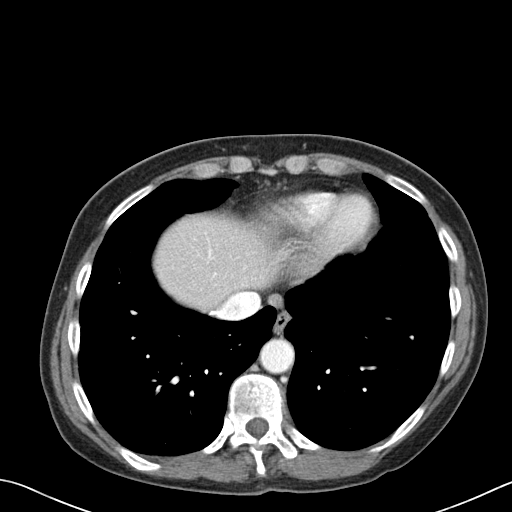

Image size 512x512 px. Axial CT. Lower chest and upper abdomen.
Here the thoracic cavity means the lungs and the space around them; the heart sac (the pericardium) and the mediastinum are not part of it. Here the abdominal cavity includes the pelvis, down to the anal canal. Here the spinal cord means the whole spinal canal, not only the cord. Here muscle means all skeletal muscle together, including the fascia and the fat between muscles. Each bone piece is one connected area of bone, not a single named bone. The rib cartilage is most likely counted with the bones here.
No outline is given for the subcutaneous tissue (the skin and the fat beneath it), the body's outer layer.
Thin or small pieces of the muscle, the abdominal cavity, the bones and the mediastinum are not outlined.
The bones appear in 15 outlined pieces: piece 1: 249 373; 264 374; 277 382; 285 391; 291 423; 321 449; 298 447; 295 457; 286 458; 274 444; 268 443; 262 447; 264 475; 257 473; 256 461; 248 444; 241 444; 233 450; 226 441; 212 453; 200 451; 221 431; 231 384; 238 376, around a hole outlined by 254 418; 261 418; 265 420; 268 426; 267 428; 267 430; 260 437; 258 438; 254 436; 252 434; 251 434; 246 429; 246 425; 247 423; 250 420; piece 2: 422 403; 424 403; 426 404; 426 408; 424 412; 422 414; 421 417; 417 421; 417 422; 402 437; 398 439; 391 445; 382 449; 378 452; 369 452; 369 450; 372 447; 374 447; 375 446; 378 446; 382 444; 385 441; 385 440; piece 3: 147 184; 153 184; 157 186; 153 190; 152 190; 145 196; 138 200; 135 203; 130 206; 125 211; 124 211; 109 226; 109 227; 107 229; 106 229; 104 226; 105 225; 105 222; 108 215; 112 211; 112 210; 129 195; 130 195; 141 187; piece 4: 118 444; 120 444; 122 446; 129 449; 131 451; 136 453; 138 455; 150 461; 152 461; 153 462; 160 464; 161 466; 160 468; 156 469; 155 470; 148 470; 147 471; 143 471; 142 470; 138 470; 136 469; 133 467; 115 448; 115 447; piece 5: 388 173; 391 173; 396 176; 398 176; 413 185; 425 196; 427 201; 424 204; 421 204; 418 201; 417 201; 406 193; 397 189; 395 187; 390 185; 388 183; 384 181; 384 180; 382 179; 384 177; 384 176; piece 6: 74 380; 78 380; 81 384; 81 386; 85 393; 85 395; 91 406; 91 408; 95 416; 95 418; 96 419; 96 422; 95 424; 92 424; 89 421; 81 410; 77 402; 77 400; 75 397; 75 395; 73 391; 73 388; 72 387; 72 383; piece 7: 208 162; 216 162; 218 163; 221 166; 224 167; 226 169; 226 170; 224 172; 220 172; 218 173; 215 176; 213 177; 209 177; 208 178; 196 178; 194 177; 194 175; 193 174; 193 169; 194 167; 196 165; 198 165; 202 163; 207 163; piece 8: 442 225; 446 229; 447 232; 451 237; 454 243; 454 245; 455 246; 455 248; 457 252; 457 260; 456 262; 454 262; 453 261; 450 261; 448 259; 442 247; 442 245; 440 242; 440 240; 438 237; 438 234; 436 230; 440 226; piece 9: 74 317; 77 317; 79 321; 79 350; 78 351; 78 354; 76 358; 74 357; 72 354; 72 352; 69 346; 69 343; 68 342; 68 338; 67 337; 67 332; 68 331; 68 326; 69 325; 69 322; 70 320; piece 10: 318 158; 330 158; 331 159; 334 159; 335 160; 342 161; 344 163; 345 163; 345 167; 343 169; 342 169; 337 174; 326 174; 325 173; 322 173; 322 172; 319 169; 318 169; 317 168; 313 168; 313 167; 314 167; 315 166; 315 161; piece 11: 300 155; 302 156; 306 156; 308 158; 309 160; 309 163; 308 164; 307 169; 306 169; 303 172; 301 172; 300 173; 290 173; 288 172; 286 170; 284 166; 284 163; 286 159; 287 159; 291 156; 299 156; piece 12: 234 156; 245 156; 246 157; 249 158; 249 159; 251 161; 251 162; 252 163; 252 169; 251 170; 251 171; 248 171; 247 172; 243 172; 242 173; 232 173; 231 172; 230 172; 228 169; 228 163; 229 162; 230 159; 232 157; 233 157; piece 13: 86 261; 91 261; 92 262; 92 265; 91 266; 91 271; 89 275; 89 278; 87 281; 87 283; 84 289; 83 294; 80 299; 77 297; 77 295; 76 294; 76 281; 77 280; 77 277; 78 276; 78 274; 82 266; piece 14: 450 283; 453 283; 455 285; 456 285; 456 286; 459 290; 459 292; 460 293; 460 296; 461 297; 461 304; 460 305; 460 308; 459 309; 457 314; 453 319; 451 319; 451 311; 450 310; 450 303; 449 302; 449 286; 450 285; piece 15: 449 339; 452 339; 454 341; 454 343; 455 344; 455 347; 454 348; 453 355; 451 359; 451 362; 446 372; 441 377; 438 377; 438 374; 439 373; 441 362; 442 361; 442 359; 445 352; 445 349; 447 346; 447 344; 448 343. The torso is outlined by 286 133; 337 135; 388 149; 433 176; 458 202; 477 242; 488 295; 485 347; 465 396; 445 427; 405 465; 370 482; 337 490; 201 493; 141 483; 90 463; 61 437; 39 373; 46 305; 76 216; 104 183; 162 150; 218 136. The muscle appears in 4 outlined pieces: piece 1: 427 198; 452 228; 464 252; 467 281; 472 286; 476 303; 472 355; 457 384; 427 418; 365 471; 333 479; 301 480; 284 475; 260 478; 250 483; 204 478; 159 478; 127 467; 75 426; 62 409; 50 372; 52 339; 76 265; 105 219; 103 226; 107 230; 93 261; 86 260; 83 263; 75 281; 75 294; 80 300; 79 313; 78 317; 69 320; 66 337; 72 356; 77 358; 79 380; 74 379; 71 387; 84 416; 92 425; 97 420; 119 443; 114 448; 133 468; 143 472; 161 468; 160 463; 140 455; 165 457; 196 451; 209 455; 227 442; 233 451; 241 445; 248 445; 255 461; 256 473; 264 476; 266 467; 263 447; 268 444; 274 445; 286 459; 295 458; 298 448; 316 451; 324 447; 351 451; 368 447; 385 438; 368 452; 378 453; 391 446; 422 417; 427 408; 423 402; 437 378; 447 372; 456 347; 449 334; 451 320; 461 308; 462 297; 457 285; 450 282; 448 260; 456 263; 458 252; 447 229; 442 224; 435 228; 422 205; 428 201; piece 2: 314 152; 333 153; 355 158; 375 165; 389 172; 386 173; 382 178; 369 172; 351 172; 338 174; 346 167; 346 163; 342 160; 330 157; 318 157; 314 161; 314 166; 312 168; 321 172; 305 171; 308 169; 310 160; 306 155; 300 154; piece 3: 231 155; 242 155; 234 155; 229 159; 227 163; 227 169; 231 174; 217 175; 220 173; 224 173; 227 169; 216 161; 208 161; 196 164; 193 167; 192 169; 193 177; 175 177; 166 180; 159 185; 147 183; 154 177; 176 167; 209 157; piece 4: 292 154; 299 155; 291 155; 285 159; 283 163; 283 166; 286 171; 283 172; 279 172; 274 167; 262 167; 259 169; 259 172; 252 171; 253 169; 253 163; 250 158; 246 156; 255 156; 261 159; 263 162; 270 163; 284 156; 291 155. The mediastinum appears in 2 outlined pieces: piece 1: 276 286; 289 288; 284 293; 284 307; 291 318; 285 325; 283 334; 292 344; 295 352; 293 366; 285 390; 280 387; 273 377; 267 374; 257 372; 243 373; 255 361; 261 347; 272 335; 276 310; 271 305; 263 306; 262 294; piece 2: 248 172; 257 172; 268 176; 284 172; 290 174; 314 172; 326 175; 361 173; 361 177; 370 193; 354 183; 339 183; 323 179; 294 179; 291 181; 284 180; 261 184; 236 195; 229 200; 225 207; 219 207; 238 183; 233 179; 217 176. The spinal cord is outlined by 254 418; 261 418; 265 420; 268 426; 267 428; 267 430; 260 437; 258 438; 254 436; 252 434; 251 434; 246 429; 246 425; 247 423; 250 420. The abdominal cavity is outlined by 217 207; 223 208; 223 211; 228 214; 233 214; 241 222; 247 237; 258 246; 277 274; 277 278; 292 287; 276 285; 268 289; 261 294; 262 306; 259 310; 241 319; 221 319; 178 305; 159 287; 150 265; 154 246; 169 224; 184 214. The thoracic cavity appears in 2 outlined pieces: piece 1: 216 176; 237 185; 218 206; 184 213; 162 230; 150 254; 151 273; 175 304; 213 318; 241 320; 265 306; 273 307; 271 335; 230 384; 227 410; 214 439; 179 455; 138 454; 96 418; 80 381; 81 299; 98 248; 124 212; 166 181; piece 2: 362 173; 383 180; 424 208; 447 258; 450 326; 437 377; 423 401; 388 436; 365 447; 344 450; 322 446; 304 435; 291 421; 286 390; 296 352; 284 334; 292 318; 285 307; 285 293; 314 277; 335 258; 364 252; 383 227; 378 204. The pericardium is outlined by 294 180; 323 180; 339 184; 354 184; 363 188; 370 194; 377 206; 381 227; 364 251; 357 254; 339 255; 314 276; 300 284; 290 286; 278 278; 278 274; 259 246; 248 237; 242 222; 233 213; 224 211; 224 208; 236 196; 261 185.